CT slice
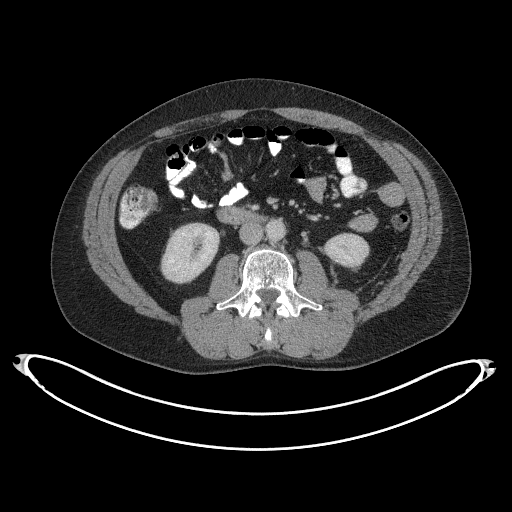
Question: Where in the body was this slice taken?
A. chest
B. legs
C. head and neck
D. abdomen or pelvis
Answer: D. abdomen or pelvis
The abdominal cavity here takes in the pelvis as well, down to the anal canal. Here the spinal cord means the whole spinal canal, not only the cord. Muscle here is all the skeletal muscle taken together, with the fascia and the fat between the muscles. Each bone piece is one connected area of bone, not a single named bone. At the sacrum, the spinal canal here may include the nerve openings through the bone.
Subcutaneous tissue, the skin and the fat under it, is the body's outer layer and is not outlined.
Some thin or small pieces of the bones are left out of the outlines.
The bones are outlined by 249,318 260,316 264,312 269,314 272,311 284,317 297,317 304,307 320,310 322,306 296,290 293,267 287,255 277,250 263,248 248,254 242,268 240,288 233,295 216,304 218,310 234,307 241,317 247,315 with a hole at 268,305 269,304 270,304 272,302 273,302 273,301 279,294 279,292 277,290 276,290 275,289 265,289 264,288 263,289 260,289 259,290 258,290 257,291 257,294 262,299 262,300 266,304 267,304. The abdominal cavity is outlined by 177,314 184,299 207,293 222,255 233,252 245,259 263,247 287,254 292,262 298,249 311,250 330,286 353,291 368,302 397,273 410,235 412,217 403,186 361,137 269,111 151,144 120,190 115,230 134,278. The spinal cord is outlined by 268,305 269,304 270,304 272,302 273,302 273,301 279,294 279,292 277,290 276,290 275,289 265,289 264,288 263,289 260,289 259,290 258,290 257,291 257,294 262,299 262,300 266,304 267,304. The torso is outlined by 185,374 222,373 265,365 353,369 431,338 455,320 471,283 467,224 450,178 411,132 383,113 332,91 288,80 237,78 193,89 155,106 92,153 71,182 53,231 50,276 59,309 70,326 89,339 136,360. The muscle is outlined by 215,360 247,358 263,350 325,359 340,352 359,325 403,301 435,256 442,235 439,195 423,162 401,144 341,116 265,106 182,120 155,130 112,157 94,179 86,199 82,243 88,263 137,313 176,326 196,352, around holes outlined by 249,318 322,309 294,286 298,249 318,256 330,286 363,303 397,273 411,211 397,177 361,137 256,111 151,144 124,182 116,236 144,289 178,314 184,299 207,293 217,260 233,252 245,260 241,286 216,308 and by 267,342 270,342 272,340 272,333 271,332 271,330 270,329 270,328 269,327 267,327 267,328 266,329 266,331 265,332 265,333 264,334 264,339.